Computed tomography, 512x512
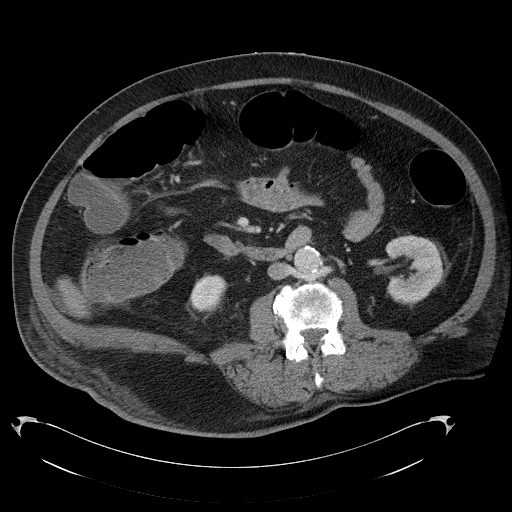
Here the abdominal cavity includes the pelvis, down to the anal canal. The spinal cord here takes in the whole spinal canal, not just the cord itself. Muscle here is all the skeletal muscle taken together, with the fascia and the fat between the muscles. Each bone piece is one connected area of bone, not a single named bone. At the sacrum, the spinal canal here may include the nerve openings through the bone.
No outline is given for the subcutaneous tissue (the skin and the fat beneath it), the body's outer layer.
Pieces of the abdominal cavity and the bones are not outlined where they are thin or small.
Outlines (x, y in pixels):
bones: [[315,281],[325,284],[341,300],[342,314],[337,326],[343,336],[345,351],[342,354],[325,356],[318,351],[315,356],[310,353],[307,359],[296,362],[285,356],[282,345],[275,344],[283,337],[286,329],[274,314],[272,305],[276,294],[284,285],[296,287]] with a hole at [[308,329],[324,329],[325,330],[325,332],[319,338],[319,341],[315,345],[311,345],[308,342],[307,342],[305,340],[305,338],[302,335],[302,334],[301,333],[301,332],[302,331],[303,331],[304,330],[307,330]]
abdominal cavity: [[264,84],[306,85],[363,102],[457,162],[483,228],[464,303],[413,337],[366,324],[341,277],[331,277],[329,287],[317,280],[286,283],[251,303],[251,341],[224,342],[208,353],[167,335],[82,323],[59,312],[42,277],[42,245],[82,162],[158,104]]
muscle: [[263,77],[291,77],[327,83],[338,87],[341,87],[344,89],[347,89],[363,97],[393,106],[409,113],[431,126],[445,136],[467,157],[481,180],[489,198],[495,225],[495,241],[496,242],[495,244],[496,247],[495,267],[494,273],[492,276],[491,285],[485,295],[481,306],[465,322],[465,325],[467,326],[469,331],[465,335],[462,336],[452,338],[442,337],[432,341],[422,349],[415,361],[401,377],[382,388],[367,392],[359,392],[358,393],[350,393],[347,391],[343,393],[332,393],[326,391],[318,391],[307,401],[292,407],[286,407],[281,409],[271,409],[268,407],[257,405],[245,398],[230,385],[226,380],[226,378],[215,367],[204,364],[186,363],[184,361],[184,357],[180,354],[161,353],[160,352],[131,350],[130,349],[89,350],[73,346],[55,332],[44,317],[33,297],[29,276],[29,250],[31,238],[36,222],[45,203],[57,184],[61,180],[70,166],[95,137],[130,111],[155,99],[170,94],[175,94],[191,90],[195,87],[204,87],[225,82],[243,80],[244,79],[252,79],[253,78],[262,78]] with holes at [[264,84],[306,85],[363,102],[457,162],[483,228],[464,303],[413,337],[366,324],[350,284],[333,276],[345,351],[298,362],[275,344],[286,331],[273,312],[275,289],[249,307],[251,341],[208,353],[59,312],[42,277],[42,245],[82,162],[158,104]] and at [[316,371],[317,371],[320,374],[320,375],[323,378],[323,381],[322,382],[322,385],[321,386],[321,387],[320,388],[318,388],[316,386],[316,385],[315,384],[315,383],[314,382],[314,374],[315,373],[315,372]]
spinal cord: [[308,329],[324,329],[325,330],[325,332],[319,338],[319,341],[315,345],[311,345],[308,342],[307,342],[305,340],[305,338],[302,335],[302,334],[301,333],[301,332],[302,331],[303,331],[304,330],[307,330]]
torso: [[263,51],[340,59],[390,74],[448,107],[480,139],[501,182],[509,231],[507,302],[491,359],[481,377],[435,383],[381,403],[340,407],[259,437],[193,436],[129,422],[52,377],[26,351],[16,325],[11,279],[20,206],[67,134],[112,94],[172,67]]